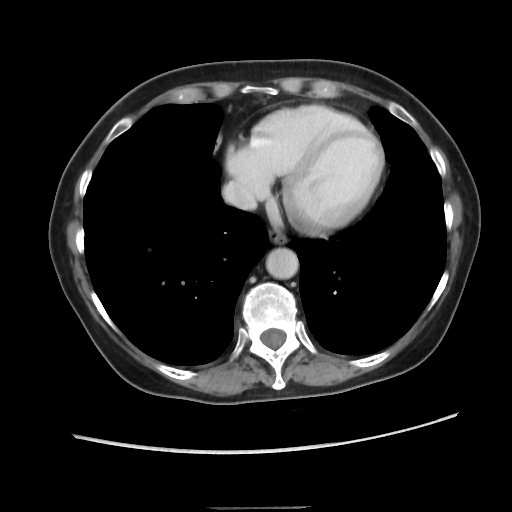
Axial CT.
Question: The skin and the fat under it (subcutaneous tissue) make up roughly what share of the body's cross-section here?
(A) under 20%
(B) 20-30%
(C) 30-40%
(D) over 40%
Answer: (A) under 20%
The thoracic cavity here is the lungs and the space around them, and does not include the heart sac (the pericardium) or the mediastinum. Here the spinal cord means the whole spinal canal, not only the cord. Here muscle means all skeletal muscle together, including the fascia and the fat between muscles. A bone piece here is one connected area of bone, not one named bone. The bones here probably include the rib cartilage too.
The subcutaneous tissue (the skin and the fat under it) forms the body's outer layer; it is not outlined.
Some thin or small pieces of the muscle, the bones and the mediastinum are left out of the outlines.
Outlines (x, y in pixels):
thoracic cavity 1: [[199,102],[216,105],[222,112],[211,156],[221,168],[220,197],[225,205],[261,220],[268,246],[240,290],[234,309],[233,343],[216,359],[191,366],[175,365],[145,353],[124,335],[108,314],[93,288],[85,260],[83,200],[93,171],[113,140],[156,106]]
thoracic cavity 2: [[379,106],[413,128],[441,178],[447,239],[445,265],[427,305],[403,335],[378,352],[346,355],[321,347],[312,340],[307,331],[304,305],[299,291],[300,261],[296,242],[322,239],[327,241],[363,218],[381,195],[391,166],[386,160],[381,136],[370,115]]
muscle 1: [[105,137],[108,144],[94,169],[85,168],[79,178],[78,195],[83,199],[82,225],[74,233],[75,247],[80,255],[84,255],[93,289],[89,297],[96,310],[115,332],[120,331],[142,352],[175,366],[200,366],[226,354],[235,341],[238,323],[236,339],[228,359],[234,360],[245,348],[263,359],[274,371],[270,387],[258,386],[234,395],[217,396],[180,385],[136,361],[94,321],[73,278],[65,232],[73,209],[75,183]] with a hole at [[158,363],[163,363],[164,364],[166,364],[170,366],[173,366],[174,367],[176,367],[180,369],[189,369],[192,371],[194,371],[196,373],[196,375],[188,379],[178,379],[177,378],[174,378],[173,377],[168,376],[164,373],[158,370],[155,367],[155,365]]
muscle 2: [[417,121],[445,153],[449,162],[453,187],[459,193],[463,207],[463,221],[459,227],[463,238],[462,252],[456,275],[443,309],[435,321],[412,343],[393,358],[371,371],[334,385],[309,386],[290,383],[286,386],[286,382],[282,376],[283,365],[286,359],[301,346],[314,355],[318,353],[315,343],[321,348],[336,354],[365,356],[351,358],[347,361],[349,365],[358,368],[366,368],[382,362],[391,354],[391,351],[387,348],[403,336],[425,310],[428,312],[432,309],[447,285],[450,275],[449,271],[445,269],[448,247],[447,232],[452,230],[454,209],[451,202],[447,199],[444,200],[443,197],[442,179],[446,175],[446,163],[442,154],[435,146],[431,146],[428,150],[414,129]]
muscle 3: [[289,76],[320,77],[347,82],[393,100],[390,100],[385,107],[355,96],[336,98],[323,98],[335,98],[336,97],[339,94],[338,89],[328,80],[316,80],[311,84],[309,96],[281,94],[280,90],[272,85],[245,84],[239,88],[240,93],[262,94],[242,94],[205,102],[198,101],[202,97],[198,88],[185,87],[176,92],[173,103],[156,105],[134,122],[132,117],[124,116],[136,111],[157,95],[180,85],[205,81],[245,80],[254,82]]; inner edges: [[295,78],[297,78],[301,80],[302,82],[302,88],[301,90],[297,93],[289,93],[288,92],[286,92],[284,91],[282,89],[281,87],[281,85],[280,84],[283,81],[285,80],[287,80],[288,79],[294,79]], then [[218,84],[225,84],[226,85],[227,85],[230,87],[230,89],[231,90],[230,91],[230,92],[229,93],[229,94],[227,96],[225,96],[224,97],[218,97],[217,96],[216,96],[215,95],[214,95],[214,94],[212,91],[212,89],[214,86],[215,86]]
torso: [[288,58],[338,60],[388,76],[413,92],[457,144],[478,191],[481,230],[452,321],[436,349],[416,367],[340,393],[217,405],[144,392],[123,380],[110,367],[91,341],[60,286],[49,252],[48,224],[62,172],[97,119],[119,97],[142,81],[192,64]]
spinal cord: [[271,328],[274,328],[275,329],[278,329],[279,330],[281,330],[285,333],[285,339],[284,341],[282,343],[282,344],[276,349],[273,349],[267,346],[261,340],[261,338],[260,337],[261,336],[261,334],[263,332]]
pericardium: [[300,98],[337,102],[351,106],[359,111],[374,125],[380,136],[385,157],[385,183],[380,195],[369,211],[353,225],[330,236],[327,240],[288,235],[273,229],[266,225],[257,215],[225,204],[220,193],[223,151],[230,135],[244,120],[258,110],[278,102]]
mediastinum 1: [[264,224],[288,236],[309,239],[298,239],[295,242],[299,261],[298,291],[306,324],[297,316],[299,309],[294,294],[277,282],[265,281],[256,284],[244,295],[240,309],[244,324],[240,326],[238,322],[235,333],[235,309],[241,290],[251,269],[269,246]]
mediastinum 2: [[253,94],[263,94],[269,96],[276,96],[280,94],[322,98],[300,97],[286,99],[266,105],[252,113],[244,119],[229,135],[222,151],[221,167],[212,156],[215,149],[219,128],[222,122],[223,112],[221,108],[216,104],[206,102],[219,101],[229,97]]
mediastinum 3: [[351,97],[355,97],[356,98],[360,98],[363,100],[367,100],[369,102],[371,102],[378,106],[372,109],[369,112],[369,115],[372,122],[359,110],[356,109],[351,105],[348,105],[337,101],[332,101],[331,100],[323,99],[336,99],[337,98],[350,98]]
bones 1: [[265,282],[277,283],[293,294],[298,309],[296,316],[303,321],[317,349],[314,354],[301,345],[285,359],[281,368],[285,386],[281,389],[271,387],[275,380],[274,369],[246,347],[234,359],[229,359],[238,329],[245,324],[241,315],[245,295],[256,285]]; inner edge: [[271,328],[274,328],[275,329],[278,329],[279,330],[281,330],[285,333],[285,339],[284,341],[282,343],[282,344],[276,349],[273,349],[267,346],[261,340],[261,338],[260,337],[261,336],[261,334],[263,332]]
bones 2: [[316,81],[328,81],[329,82],[330,82],[332,84],[333,84],[336,87],[336,88],[337,89],[337,91],[338,92],[338,94],[335,97],[312,97],[311,96],[310,96],[310,95],[311,94],[310,93],[310,90],[312,87],[312,84],[314,82],[315,82]]
bones 3: [[385,349],[388,349],[390,351],[390,354],[385,359],[376,364],[374,364],[370,366],[367,366],[366,367],[358,367],[354,365],[351,365],[348,363],[348,361],[351,359],[355,359],[356,358],[361,358],[362,357],[369,356],[370,355],[378,353]]
bones 4: [[158,363],[163,363],[164,364],[166,364],[170,366],[173,366],[174,367],[176,367],[180,369],[189,369],[192,371],[194,371],[196,373],[196,375],[188,379],[178,379],[177,378],[174,378],[173,377],[168,376],[164,373],[158,370],[155,367],[155,365]]
bones 5: [[390,101],[395,101],[399,103],[402,106],[403,106],[415,118],[416,120],[416,123],[413,127],[412,127],[409,124],[404,122],[402,120],[397,118],[395,116],[391,114],[388,111],[386,107],[388,103]]
bones 6: [[126,116],[128,116],[132,118],[133,120],[133,123],[132,125],[127,130],[126,130],[124,132],[120,134],[117,137],[116,137],[109,143],[108,143],[106,140],[106,136],[108,132],[110,130],[112,126],[119,119],[120,119],[122,117],[125,117]]
bones 7: [[185,88],[196,88],[199,90],[199,91],[201,94],[201,97],[200,98],[200,99],[197,101],[198,102],[192,102],[191,103],[174,103],[174,98],[176,96],[176,94],[177,93],[177,92],[179,90],[181,90],[182,89],[184,89]]
bones 8: [[444,270],[447,270],[449,273],[449,275],[448,276],[448,279],[447,280],[446,285],[443,291],[441,293],[438,299],[433,305],[431,309],[427,311],[425,309],[428,305],[432,297],[432,295],[439,282],[439,280]]
bones 9: [[245,85],[255,85],[256,86],[272,86],[273,87],[275,87],[277,88],[279,90],[279,92],[278,94],[276,95],[269,95],[268,94],[264,94],[260,92],[250,92],[249,93],[242,93],[240,92],[239,90],[240,88],[241,88]]
bones 10: [[91,290],[93,290],[96,293],[98,298],[100,300],[107,314],[109,316],[109,317],[111,319],[113,323],[117,327],[119,331],[115,331],[105,321],[105,320],[99,313],[99,312],[97,310],[96,307],[94,305],[90,297],[90,292]]
bones 11: [[431,147],[435,147],[439,151],[439,152],[441,154],[444,160],[444,162],[445,163],[445,169],[446,171],[445,172],[445,175],[444,177],[442,178],[439,174],[437,170],[437,168],[429,154],[429,152],[428,151]]
bones 12: [[295,78],[297,78],[301,80],[302,82],[302,88],[301,90],[297,93],[289,93],[288,92],[286,92],[284,91],[282,89],[281,87],[281,85],[280,84],[283,81],[285,80],[287,80],[288,79],[294,79]]
bones 13: [[88,168],[89,168],[92,170],[92,175],[91,176],[90,181],[87,186],[87,188],[86,189],[85,194],[84,195],[83,198],[82,198],[79,195],[79,182],[80,181],[80,178],[81,177],[82,172],[85,169],[87,169]]
bones 14: [[445,200],[447,200],[450,202],[450,203],[452,205],[452,208],[453,209],[453,221],[452,222],[452,226],[451,227],[451,230],[450,231],[447,231],[447,230],[446,229],[446,225],[445,224],[445,217],[444,216],[444,211],[443,210],[443,203]]
bones 15: [[80,226],[82,226],[83,227],[83,229],[84,230],[84,238],[83,239],[83,242],[84,243],[84,252],[83,253],[83,254],[80,254],[79,253],[79,252],[78,251],[78,250],[76,247],[76,244],[75,243],[75,233],[76,232],[77,229]]